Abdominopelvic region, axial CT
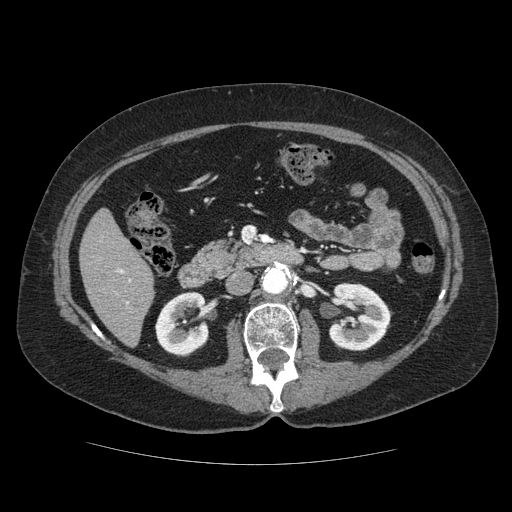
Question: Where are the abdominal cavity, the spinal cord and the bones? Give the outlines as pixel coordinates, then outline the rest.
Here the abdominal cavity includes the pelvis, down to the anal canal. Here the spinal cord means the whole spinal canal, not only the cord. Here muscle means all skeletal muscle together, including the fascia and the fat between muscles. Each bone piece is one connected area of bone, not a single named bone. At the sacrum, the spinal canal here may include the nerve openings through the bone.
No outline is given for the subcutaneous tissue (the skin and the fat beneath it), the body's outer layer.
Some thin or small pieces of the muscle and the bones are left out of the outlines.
Answer: The abdominal cavity is outlined by (236, 126) (361, 146) (409, 180) (443, 253) (436, 301) (409, 341) (377, 359) (326, 361) (308, 308) (297, 318) (284, 303) (263, 301) (247, 312) (243, 325) (233, 317) (225, 326) (223, 363) (170, 367) (120, 347) (77, 303) (70, 246) (83, 207) (102, 183) (167, 145). The spinal cord is outlined by (271, 348) (275, 348) (276, 349) (280, 349) (281, 350) (284, 351) (287, 355) (287, 359) (282, 364) (282, 365) (281, 366) (281, 368) (278, 369) (276, 371) (271, 371) (267, 366) (265, 366) (259, 361) (259, 355) (265, 350) (267, 350) (268, 349) (270, 349). The bones appear in 2 outlined pieces: piece 1: (263, 302) (284, 304) (294, 312) (299, 325) (294, 364) (300, 376) (283, 385) (280, 393) (283, 410) (279, 412) (273, 412) (269, 409) (272, 401) (272, 394) (269, 388) (264, 384) (253, 385) (250, 383) (252, 375) (251, 360) (245, 347) (242, 334) (246, 315) (254, 306), around a hole outlined by (271, 348) (275, 348) (276, 349) (280, 349) (281, 350) (284, 351) (287, 355) (287, 359) (282, 364) (282, 365) (281, 366) (281, 368) (278, 369) (276, 371) (271, 371) (267, 366) (265, 366) (259, 361) (259, 355) (265, 350) (267, 350) (268, 349) (270, 349); piece 2: (90, 319) (93, 321) (93, 322) (97, 326) (97, 327) (104, 334) (104, 335) (106, 337) (106, 338) (109, 341) (109, 342) (106, 342) (105, 341) (104, 341) (103, 340) (102, 340) (92, 330) (92, 329) (90, 326) (90, 324) (89, 323) (89, 320). The muscle is outlined by (272, 120) (320, 123) (365, 133) (418, 162) (441, 186) (452, 205) (459, 224) (463, 248) (463, 279) (457, 297) (441, 321) (432, 329) (428, 339) (399, 364) (370, 385) (349, 396) (311, 409) (298, 409) (286, 413) (283, 411) (282, 389) (286, 383) (301, 376) (295, 358) (300, 333) (298, 315) (303, 308) (309, 310) (319, 328) (318, 354) (322, 360) (326, 362) (350, 360) (363, 363) (384, 358) (409, 342) (422, 327) (436, 302) (443, 300) (447, 292) (447, 289) (442, 287) (444, 253) (433, 221) (416, 188) (393, 165) (361, 145) (305, 131) (251, 125) (230, 126) (167, 144) (116, 169) (92, 194) (77, 218) (68, 255) (73, 299) (91, 318) (88, 320) (89, 326) (102, 341) (109, 343) (107, 337) (132, 355) (170, 368) (198, 370) (223, 364) (228, 357) (226, 326) (233, 318) (240, 320) (242, 340) (250, 360) (249, 383) (253, 386) (264, 385) (271, 394) (268, 407) (271, 412) (242, 414) (229, 406) (182, 393) (112, 359) (107, 350) (65, 320) (59, 314) (59, 308) (54, 300) (52, 250) (59, 221) (71, 197) (90, 175) (111, 160) (140, 144) (178, 131) (214, 124). The torso is outlined by (249, 82) (305, 83) (362, 96) (417, 123) (451, 158) (487, 225) (499, 304) (490, 356) (463, 387) (357, 425) (302, 429) (275, 416) (249, 431) (188, 434) (99, 410) (53, 386) (27, 361) (15, 330) (22, 255) (38, 205) (62, 160) (96, 126) (134, 104) (190, 88).